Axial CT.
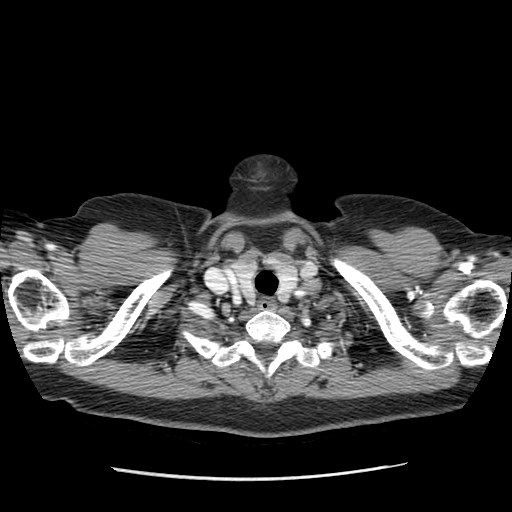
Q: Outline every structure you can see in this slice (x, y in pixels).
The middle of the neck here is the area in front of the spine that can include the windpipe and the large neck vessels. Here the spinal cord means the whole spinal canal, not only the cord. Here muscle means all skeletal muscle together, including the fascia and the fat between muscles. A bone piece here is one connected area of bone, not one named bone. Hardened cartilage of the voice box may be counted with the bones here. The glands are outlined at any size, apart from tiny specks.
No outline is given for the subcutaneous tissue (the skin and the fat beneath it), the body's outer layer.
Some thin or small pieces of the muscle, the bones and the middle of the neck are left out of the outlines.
A: {"torso":[[[117,192],[141,192],[262,221],[295,214],[328,220],[339,213],[333,199],[353,192],[407,196],[450,214],[455,218],[425,305],[466,369],[481,377],[455,411],[281,437],[159,426],[44,399],[29,373],[62,346],[69,314],[60,217],[72,215],[90,197]]],"head_and_neck":[[[256,153],[270,153],[278,155],[287,160],[297,171],[299,175],[299,181],[297,185],[297,195],[292,199],[294,210],[297,213],[262,220],[251,217],[246,217],[221,212],[226,199],[231,191],[230,186],[228,183],[229,174],[234,166],[240,160],[249,155]]],"spinal_cord":[[[260,342],[271,342],[272,343],[275,343],[276,344],[277,344],[278,345],[278,346],[277,347],[274,354],[271,355],[267,358],[263,358],[259,354],[258,354],[257,353],[257,351],[255,349],[255,347],[254,346],[254,345],[255,344],[257,344]]],"muscle":[{"outer":[[110,220],[187,246],[210,246],[229,228],[291,227],[332,246],[357,244],[367,228],[417,226],[444,246],[511,255],[511,282],[507,298],[490,278],[456,290],[441,312],[465,337],[444,349],[414,335],[354,264],[329,258],[396,352],[426,370],[455,357],[481,366],[451,387],[276,403],[137,396],[35,364],[62,354],[83,367],[107,354],[175,265],[144,278],[97,334],[30,339],[22,356],[4,301],[6,232],[63,244]],"holes":[[[257,256],[319,266],[313,295],[275,312],[291,323],[306,345],[319,340],[334,349],[317,367],[304,367],[289,358],[268,382],[244,357],[218,367],[181,333],[187,329],[230,344],[244,331],[256,310],[213,294],[205,274],[216,265]],[[28,268],[36,268],[38,269],[53,282],[65,295],[67,298],[70,309],[68,319],[69,322],[67,324],[62,326],[49,326],[47,328],[39,328],[32,332],[25,329],[16,319],[8,304],[8,286],[10,283],[11,277],[14,274],[23,269]],[[428,300],[429,300],[435,306],[435,307],[434,308],[434,311],[433,312],[433,314],[428,319],[423,319],[422,318],[420,318],[421,317],[421,316],[422,315],[422,313],[423,312],[423,310],[424,309],[424,308],[425,307],[425,305],[426,304],[426,302]]]},[[263,167],[264,168],[270,169],[272,172],[274,172],[276,175],[277,179],[273,181],[270,181],[267,184],[268,185],[267,186],[268,187],[267,189],[265,190],[264,189],[254,189],[253,187],[257,184],[254,182],[249,181],[248,179]],[[496,329],[499,329],[499,334],[497,337],[497,339],[495,343],[495,345],[496,346],[495,347],[495,349],[494,351],[493,351],[490,348],[490,346],[488,344],[483,342],[482,340],[486,337],[487,337],[489,335],[490,335],[494,331],[494,330]]],"bones":[[[333,256],[364,273],[414,336],[444,350],[466,337],[460,325],[444,317],[447,300],[475,279],[493,280],[505,290],[507,305],[500,329],[481,340],[492,351],[489,361],[465,367],[455,356],[449,365],[437,369],[416,365],[387,341],[367,304],[330,263]],{"outer":[[265,309],[290,322],[298,339],[306,345],[314,345],[319,340],[334,349],[317,367],[304,367],[294,357],[289,358],[278,366],[268,382],[256,365],[244,357],[218,367],[199,354],[181,333],[187,329],[195,335],[230,344],[244,331],[246,321]],"hole":[[260,342],[271,342],[272,343],[275,343],[276,344],[277,344],[278,345],[278,346],[277,347],[274,354],[271,355],[267,358],[263,358],[259,354],[258,354],[257,353],[257,351],[255,349],[255,347],[254,346],[254,345],[255,344],[257,344]]},[[168,265],[175,266],[174,270],[143,307],[130,329],[131,332],[91,364],[78,366],[70,363],[62,353],[53,364],[34,363],[22,357],[23,347],[30,340],[41,341],[57,337],[67,340],[87,332],[97,335],[112,319],[134,288],[144,279]],[[28,268],[36,268],[38,269],[53,282],[65,295],[67,298],[70,309],[68,319],[69,322],[67,324],[62,326],[49,326],[47,328],[39,328],[32,332],[25,329],[16,319],[8,304],[8,286],[10,283],[11,277],[14,274],[23,269]],[[428,300],[429,300],[435,306],[435,307],[434,308],[434,311],[433,312],[433,314],[428,319],[423,319],[422,318],[420,318],[421,317],[421,316],[422,315],[422,313],[423,312],[423,310],[424,309],[424,308],[425,307],[425,305],[426,304],[426,302]]],"left_arm":[[[456,218],[459,219],[468,227],[476,232],[506,234],[511,239],[511,282],[508,286],[509,291],[505,315],[495,343],[496,346],[495,349],[491,353],[489,361],[487,363],[482,375],[474,373],[467,369],[426,305],[434,279]]],"thyroid_glands":[[[266,256],[274,256],[278,258],[289,260],[291,263],[295,266],[297,270],[297,283],[295,285],[295,287],[292,293],[289,296],[287,304],[281,304],[279,301],[279,299],[277,295],[277,291],[280,285],[280,280],[272,266],[263,262],[263,259],[264,257]],[[238,260],[246,260],[247,261],[252,261],[253,260],[255,261],[256,263],[256,270],[252,278],[252,288],[256,295],[256,304],[255,305],[249,305],[247,304],[245,296],[243,293],[242,285],[238,278],[236,272],[233,269],[232,266],[230,265],[232,263]]],"right_arm":[[[5,208],[13,208],[23,211],[38,220],[59,217],[68,301],[68,314],[61,346],[28,373],[22,361],[22,357],[18,351],[16,342],[12,333],[8,314],[6,311],[6,304],[4,301],[4,294],[2,287],[3,286],[2,276],[0,273],[0,239]]],"middle_of_the_neck":[[[257,256],[263,257],[262,262],[274,270],[279,280],[278,301],[287,305],[275,311],[265,308],[257,312],[253,307],[235,305],[211,292],[205,282],[206,272],[216,265],[227,264],[237,276],[246,304],[255,306],[257,295],[253,278],[257,263],[250,259]],[[306,262],[314,262],[319,266],[321,271],[319,272],[319,276],[317,278],[318,284],[317,289],[313,295],[310,297],[303,299],[296,299],[295,301],[292,301],[291,303],[288,304],[290,296],[293,293],[296,285],[298,283],[298,270],[296,266],[301,266]]]}